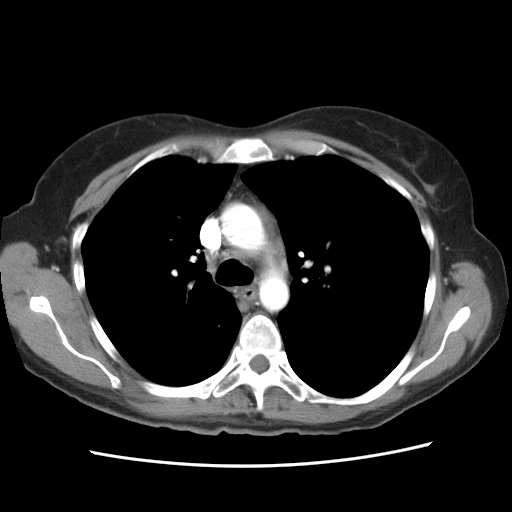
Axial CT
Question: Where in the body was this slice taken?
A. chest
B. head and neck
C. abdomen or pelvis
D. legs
Answer: A. chest
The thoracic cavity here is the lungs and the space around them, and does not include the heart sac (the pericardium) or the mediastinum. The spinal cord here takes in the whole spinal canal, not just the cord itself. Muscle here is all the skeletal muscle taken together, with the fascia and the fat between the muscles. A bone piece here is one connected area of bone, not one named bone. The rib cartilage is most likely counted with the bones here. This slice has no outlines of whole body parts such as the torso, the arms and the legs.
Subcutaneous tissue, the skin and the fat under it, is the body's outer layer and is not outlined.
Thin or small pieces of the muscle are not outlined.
spinal cord: (257, 355) (262, 355) (263, 356) (264, 356) (268, 362) (268, 367) (267, 368) (267, 369) (266, 370) (265, 370) (262, 372) (257, 372) (256, 371) (255, 371) (253, 369) (252, 369) (250, 366) (250, 361) (255, 356) (256, 356)
thoracic cavity 1: (325, 154) (341, 156) (353, 162) (403, 196) (415, 212) (429, 250) (422, 314) (411, 344) (379, 382) (351, 397) (336, 397) (315, 389) (291, 366) (277, 320) (291, 296) (293, 276) (286, 246) (276, 216) (242, 180) (242, 174) (247, 170) (263, 162) (275, 161) (278, 157)
thoracic cavity 2: (173, 154) (196, 160) (205, 156) (213, 164) (237, 165) (218, 205) (205, 216) (199, 228) (198, 239) (211, 280) (231, 295) (241, 317) (236, 342) (223, 365) (204, 379) (178, 386) (147, 379) (121, 355) (90, 303) (81, 253) (82, 242) (90, 224) (126, 179) (145, 164)
bones 1: (463, 306) (468, 318) (436, 358) (366, 403) (298, 401) (274, 385) (258, 411) (247, 384) (202, 399) (154, 395) (139, 383) (178, 387) (206, 379) (228, 359) (241, 325) (262, 314) (277, 327) (287, 360) (305, 383) (351, 398) (379, 383) (412, 344) (407, 371) (432, 356); inner edge: (257, 355) (262, 355) (263, 356) (264, 356) (268, 362) (268, 367) (267, 368) (267, 369) (266, 370) (265, 370) (262, 372) (257, 372) (256, 371) (255, 371) (253, 369) (252, 369) (250, 366) (250, 361) (255, 356) (256, 356)
bones 2: (243, 137) (259, 137) (271, 147) (275, 145) (275, 140) (281, 138) (310, 139) (327, 144) (336, 150) (339, 155) (296, 153) (295, 155) (287, 154) (283, 156) (280, 152) (275, 155) (277, 157) (275, 160) (270, 161) (213, 163) (211, 161) (212, 157) (235, 139)
bones 3: (34, 295) (35, 296) (43, 295) (47, 298) (52, 312) (65, 334) (68, 342) (78, 352) (94, 358) (112, 374) (116, 376) (121, 382) (119, 388) (113, 388) (111, 386) (108, 376) (95, 363) (75, 355) (63, 345) (52, 320) (45, 313) (33, 311) (30, 308) (29, 298)
bones 4: (171, 142) (188, 142) (189, 143) (188, 145) (186, 145) (182, 147) (177, 153) (173, 153) (172, 154) (165, 155) (164, 156) (153, 159) (145, 163) (139, 167) (131, 175) (127, 177) (127, 175) (131, 169) (140, 160) (141, 160) (148, 154) (154, 151) (156, 149)
bones 5: (91, 315) (94, 315) (96, 317) (102, 329) (120, 354) (120, 358) (121, 359) (122, 363) (119, 363) (115, 361) (107, 353) (107, 352) (105, 351) (105, 350) (97, 339) (96, 336) (94, 334) (92, 330) (92, 328) (91, 327) (91, 325) (89, 321) (89, 318)
bones 6: (431, 271) (433, 271) (435, 273) (436, 276) (435, 294) (429, 312) (427, 316) (424, 318) (422, 315) (423, 314) (423, 306) (424, 305) (424, 296) (425, 295) (425, 291) (426, 290) (426, 286) (427, 285) (427, 281) (428, 280) (429, 273)
bones 7: (76, 260) (81, 261) (82, 262) (82, 265) (83, 266) (83, 274) (84, 275) (84, 281) (85, 282) (85, 291) (81, 294) (80, 294) (78, 292) (77, 290) (77, 288) (75, 285) (75, 282) (74, 281) (74, 279) (73, 278) (73, 263) (74, 261)
bones 8: (379, 173) (382, 173) (383, 174) (388, 175) (392, 178) (393, 178) (396, 181) (397, 181) (402, 186) (403, 186) (411, 195) (411, 196) (412, 197) (412, 200) (411, 201) (409, 201) (398, 191) (397, 191) (394, 188) (393, 188) (387, 183) (386, 183) (378, 175) (378, 174)
bones 9: (84, 221) (87, 221) (89, 225) (82, 239) (82, 241) (81, 242) (81, 245) (80, 247) (78, 248) (76, 248) (75, 249) (73, 249) (72, 248) (72, 238) (73, 237) (73, 233) (74, 232) (74, 230) (75, 228) (80, 223)
bones 10: (421, 220) (423, 220) (426, 222) (429, 222) (432, 227) (432, 229) (433, 230) (433, 235) (434, 236) (434, 239) (433, 240) (433, 248) (431, 250) (430, 250) (429, 249) (429, 248) (428, 247) (428, 245) (422, 234) (422, 232) (421, 231) (421, 227) (420, 226) (420, 221)
muscle: (272, 129) (308, 130) (348, 142) (376, 157) (401, 174) (422, 194) (427, 205) (426, 211) (437, 235) (440, 249) (440, 264) (442, 273) (445, 275) (451, 264) (454, 262) (471, 261) (478, 265) (483, 270) (485, 275) (485, 282) (489, 289) (492, 302) (491, 320) (485, 335) (471, 356) (463, 359) (453, 368) (444, 371) (434, 379) (429, 380) (420, 389) (415, 390) (406, 397) (377, 409) (370, 410) (355, 417) (335, 422) (317, 424) (303, 423) (298, 424) (291, 421) (268, 419) (260, 414) (256, 415) (240, 414) (232, 417) (206, 415) (197, 415) (192, 417) (154, 417) (145, 414) (136, 408) (129, 407) (124, 402) (107, 395) (94, 386) (74, 379) (60, 371) (35, 354) (20, 338) (14, 329) (10, 327) (8, 316) (6, 313) (2, 289) (2, 274) (0, 273) (0, 251) (7, 243) (15, 241) (27, 241) (37, 249) (38, 258) (40, 262) (49, 266) (54, 265) (61, 269) (64, 269) (68, 266) (70, 264) (69, 239) (72, 233) (71, 224) (68, 220) (69, 215) (75, 200) (84, 191) (90, 181) (99, 173) (130, 154) (171, 136) (179, 134) (197, 133) (220, 134) (226, 136) (251, 136); inner edges: (243, 137) (323, 142) (397, 181) (430, 223) (435, 294) (406, 370) (416, 367) (437, 351) (450, 320) (461, 307) (470, 314) (436, 358) (405, 383) (351, 405) (298, 401) (274, 385) (258, 411) (247, 384) (205, 399) (151, 394) (97, 339) (73, 278) (75, 228) (156, 149) (188, 142) (178, 154) (210, 162), then (34, 295) (35, 296) (43, 295) (47, 298) (52, 312) (65, 334) (68, 342) (78, 352) (94, 358) (112, 374) (116, 376) (121, 382) (119, 388) (113, 388) (111, 386) (108, 376) (95, 363) (75, 355) (63, 345) (52, 320) (45, 313) (33, 311) (30, 308) (29, 298)
mediastinum: (252, 163) (259, 163) (244, 171) (241, 174) (241, 180) (275, 216) (292, 276) (289, 286) (289, 301) (277, 316) (277, 326) (262, 313) (255, 313) (242, 323) (241, 314) (232, 295) (212, 280) (199, 239) (200, 228) (206, 216) (219, 205) (224, 197) (236, 172) (237, 164)